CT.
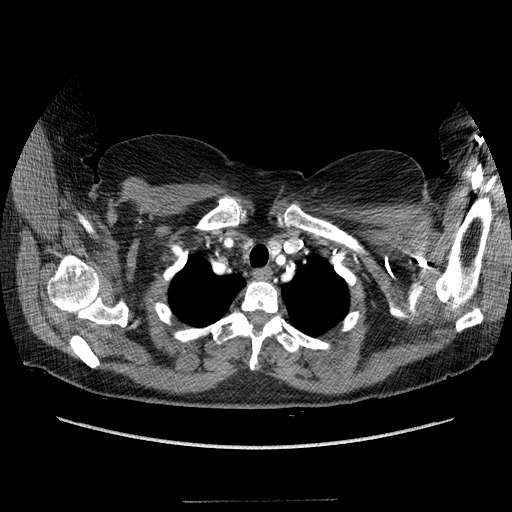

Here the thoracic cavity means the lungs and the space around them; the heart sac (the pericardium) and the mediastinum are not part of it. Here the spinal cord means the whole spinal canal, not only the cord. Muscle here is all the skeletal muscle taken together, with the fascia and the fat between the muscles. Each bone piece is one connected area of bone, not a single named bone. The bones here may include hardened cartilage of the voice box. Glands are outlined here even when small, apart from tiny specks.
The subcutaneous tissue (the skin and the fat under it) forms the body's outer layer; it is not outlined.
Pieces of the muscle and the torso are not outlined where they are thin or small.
{"thyroid_glands":[[[270,237],[275,237],[276,238],[277,238],[278,239],[278,240],[279,241],[279,243],[280,244],[280,250],[277,254],[277,255],[273,258],[271,256],[270,251],[269,250],[269,249],[268,248],[268,246],[266,243],[266,240]],[[246,238],[254,238],[255,239],[255,241],[254,242],[254,243],[253,244],[253,245],[252,245],[251,246],[251,247],[250,247],[249,248],[249,249],[244,249],[241,246],[241,243],[242,242],[242,241],[244,239],[245,239]]],"right_arm":[[[75,75],[83,96],[94,112],[98,132],[96,150],[85,157],[83,161],[94,170],[93,240],[100,273],[99,288],[87,303],[78,308],[61,314],[10,325],[4,303],[0,272],[0,238],[4,208],[10,186],[9,181],[22,148],[38,118],[60,90]]],"muscle":[{"outer":[[42,116],[57,144],[68,187],[96,208],[105,207],[109,194],[130,175],[145,176],[154,184],[225,181],[256,194],[283,186],[357,204],[441,203],[454,179],[462,146],[476,124],[500,174],[510,216],[511,281],[501,320],[489,334],[480,327],[472,329],[383,381],[340,395],[311,393],[260,375],[240,375],[209,390],[174,394],[97,369],[101,361],[81,335],[67,340],[80,360],[38,338],[18,299],[18,228],[9,181]],"holes":[[[256,229],[300,235],[311,252],[350,269],[357,282],[347,288],[349,309],[361,315],[347,331],[338,323],[320,335],[326,350],[289,352],[268,336],[251,370],[249,337],[182,342],[172,334],[187,325],[160,320],[154,302],[168,302],[162,273],[183,249]],[[477,196],[486,196],[491,197],[492,199],[491,222],[485,242],[478,287],[472,299],[473,303],[480,309],[484,318],[480,324],[464,329],[460,333],[456,333],[452,312],[438,299],[434,290],[434,284],[445,268],[447,256],[454,241],[455,232]],[[69,253],[80,258],[96,272],[99,279],[98,295],[106,306],[113,306],[120,299],[126,303],[129,308],[129,315],[126,326],[121,327],[117,324],[98,324],[85,318],[79,318],[75,313],[58,308],[49,299],[46,291],[47,282],[54,273],[63,254]],[[292,203],[297,203],[305,212],[314,217],[317,217],[330,222],[340,229],[355,237],[364,246],[367,251],[367,254],[362,254],[361,255],[333,239],[330,239],[327,237],[315,234],[298,227],[294,226],[286,227],[278,225],[277,216],[281,215],[286,208]],[[225,195],[228,195],[233,197],[235,200],[241,205],[242,208],[246,211],[246,216],[243,221],[235,227],[233,226],[228,226],[210,231],[196,230],[194,228],[194,226],[200,218],[214,208],[218,203],[218,199],[220,197]],[[418,280],[420,280],[420,283],[423,285],[424,289],[417,306],[417,316],[410,321],[408,319],[402,319],[392,315],[389,311],[388,303],[381,289],[381,286],[385,285],[386,290],[390,294],[390,297],[398,302],[400,299],[400,292],[404,291],[412,282]]]}],"thoracic_cavity":[[[310,252],[320,254],[328,259],[334,271],[345,282],[350,298],[349,310],[347,313],[337,325],[329,329],[319,337],[309,335],[292,325],[284,316],[285,312],[280,298],[280,288],[282,284],[287,283],[292,279],[297,271],[298,261],[300,259],[303,259]],[[197,250],[200,250],[202,256],[210,263],[211,270],[216,275],[228,275],[235,272],[240,272],[246,281],[245,286],[238,293],[231,311],[219,319],[207,325],[199,327],[187,325],[182,322],[175,316],[168,304],[168,288],[172,279],[185,266],[188,255]]],"bones":[{"outer":[[254,280],[273,284],[280,291],[284,318],[301,332],[329,342],[330,348],[300,346],[289,352],[274,335],[268,336],[257,355],[258,367],[251,370],[249,337],[236,336],[221,344],[209,334],[186,342],[175,339],[176,330],[204,327],[231,312],[239,293]],"hole":[[256,310],[260,310],[261,311],[263,311],[269,315],[269,318],[265,322],[265,323],[262,326],[262,327],[260,329],[256,329],[254,327],[254,326],[249,321],[249,319],[248,318],[248,314],[249,313],[250,313],[251,312],[253,312]]},[[477,196],[486,196],[491,197],[492,199],[491,222],[485,242],[478,287],[472,299],[473,303],[480,309],[484,318],[480,324],[464,329],[460,333],[456,333],[452,312],[438,299],[434,290],[434,284],[445,268],[447,256],[454,241],[455,232]],[[69,253],[80,258],[96,272],[99,279],[98,295],[106,306],[113,306],[120,299],[126,303],[129,308],[129,315],[126,326],[121,327],[117,324],[98,324],[85,318],[79,318],[75,313],[58,308],[49,299],[46,291],[47,282],[54,273],[63,254]],[[292,203],[297,203],[305,212],[314,217],[317,217],[330,222],[340,229],[355,237],[364,246],[367,251],[367,254],[362,254],[361,255],[333,239],[330,239],[327,237],[315,234],[298,227],[294,226],[286,227],[278,225],[277,216],[281,215],[286,208]],[[225,195],[228,195],[233,197],[235,200],[241,205],[242,208],[246,211],[246,216],[243,221],[235,227],[233,226],[228,226],[210,231],[196,230],[194,228],[194,226],[200,218],[214,208],[218,203],[218,199],[220,197]],[[418,280],[420,280],[420,283],[423,285],[424,289],[417,306],[417,316],[410,321],[408,319],[402,319],[392,315],[389,311],[388,303],[381,289],[381,286],[385,285],[386,290],[390,294],[390,297],[398,302],[400,299],[400,292],[404,291],[412,282]],[[73,335],[79,335],[83,338],[84,338],[90,346],[91,349],[98,357],[98,358],[100,361],[100,365],[96,369],[94,369],[93,368],[88,366],[85,363],[84,363],[72,351],[72,350],[69,347],[69,344],[68,343],[68,340],[69,339],[69,338]],[[183,249],[187,249],[188,250],[188,254],[187,255],[187,259],[186,260],[186,262],[184,266],[174,275],[174,276],[171,279],[168,286],[163,280],[163,278],[162,277],[162,273],[164,269],[167,266],[169,266],[173,263],[173,262],[177,258],[177,255]],[[331,257],[336,259],[339,262],[342,263],[342,264],[343,265],[346,266],[349,269],[350,269],[356,275],[356,276],[357,277],[357,282],[356,283],[355,283],[351,287],[348,287],[346,282],[335,271],[332,264],[330,262],[330,261],[329,260]],[[156,301],[159,301],[160,302],[165,302],[167,303],[171,311],[174,315],[174,317],[171,320],[172,321],[172,324],[169,325],[165,323],[163,321],[160,320],[160,319],[158,317],[154,309],[154,302]],[[350,310],[351,311],[354,311],[355,310],[359,310],[361,313],[361,315],[359,317],[359,318],[358,319],[356,324],[351,329],[350,329],[347,331],[341,331],[340,330],[340,327],[341,326],[340,325],[340,322],[344,318],[344,317],[348,313],[348,312]]],"mediastinum":[[[256,229],[271,234],[265,243],[273,259],[281,250],[280,237],[300,235],[311,248],[297,261],[291,279],[283,282],[279,289],[266,280],[248,282],[240,271],[216,274],[201,251],[218,232],[241,239],[240,246],[249,250],[256,241],[250,234]]],"left_arm":[[[458,102],[460,102],[467,111],[485,138],[500,174],[510,216],[510,290],[504,315],[488,320],[472,320],[448,312],[442,306],[434,292],[429,278],[426,261],[428,177],[440,176],[449,166],[449,162],[443,159],[441,155],[438,130],[444,118],[453,110]]],"torso":[[[151,133],[190,136],[232,160],[305,175],[365,149],[387,148],[413,157],[427,177],[425,261],[433,292],[459,318],[503,317],[490,357],[455,377],[391,397],[274,409],[104,398],[27,367],[10,326],[78,309],[100,288],[94,240],[99,158],[117,142]]],"spinal_cord":[[[256,310],[260,310],[261,311],[263,311],[269,315],[269,318],[265,322],[265,323],[262,326],[262,327],[260,329],[256,329],[254,327],[254,326],[249,321],[249,319],[248,318],[248,314],[249,313],[250,313],[251,312],[253,312]]]}